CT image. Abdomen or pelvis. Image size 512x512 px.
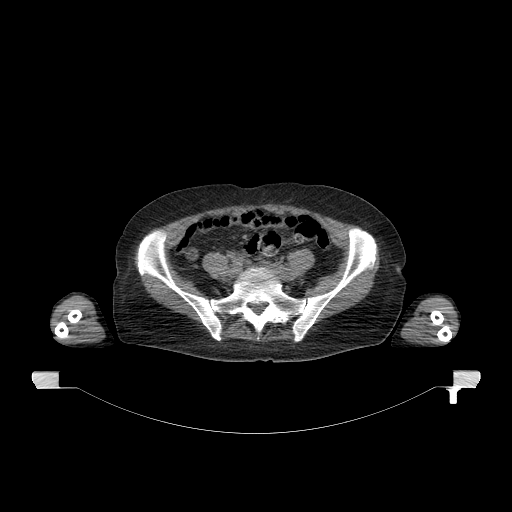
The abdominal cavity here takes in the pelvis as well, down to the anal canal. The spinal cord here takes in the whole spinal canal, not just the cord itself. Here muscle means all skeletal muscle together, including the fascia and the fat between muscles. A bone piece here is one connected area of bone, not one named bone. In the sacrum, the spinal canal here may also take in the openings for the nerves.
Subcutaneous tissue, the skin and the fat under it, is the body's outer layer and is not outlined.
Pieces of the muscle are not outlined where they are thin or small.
muscle 1: (265, 203) (306, 208) (363, 228) (353, 226) (347, 231) (348, 249) (344, 270) (335, 286) (323, 293) (305, 297) (305, 291) (315, 286) (320, 278) (336, 272) (343, 256) (343, 249) (330, 238) (326, 227) (310, 214) (281, 213) (256, 207) (232, 214) (206, 214) (189, 223) (184, 233) (170, 247) (169, 257) (176, 272) (182, 278) (190, 280) (209, 298) (183, 290) (173, 279) (165, 252) (166, 231) (158, 228) (146, 233) (155, 227) (205, 210) (231, 205)
muscle 2: (434, 296) (447, 299) (456, 312) (457, 325) (453, 334) (450, 326) (444, 323) (444, 315) (438, 309) (433, 309) (429, 314) (429, 318) (433, 326) (440, 327) (436, 332) (436, 336) (442, 342) (416, 343) (401, 337) (400, 332) (404, 324) (414, 315) (418, 304) (424, 299)
muscle 3: (74, 295) (83, 296) (93, 304) (95, 313) (97, 316) (97, 321) (102, 326) (105, 333) (104, 338) (100, 341) (90, 343) (65, 342) (60, 339) (65, 339) (69, 337) (69, 328) (66, 322) (63, 320) (58, 321) (53, 328) (52, 318) (56, 307) (64, 300), around a hole outlined by (72, 309) (77, 309) (78, 310) (79, 310) (81, 312) (81, 317) (79, 319) (79, 320) (77, 322) (76, 322) (75, 323) (71, 323) (70, 322) (69, 322) (69, 321) (68, 320) (68, 319) (67, 318) (67, 315) (68, 314) (68, 313) (70, 311) (70, 310) (71, 310)
muscle 4: (374, 237) (377, 239) (380, 247) (380, 266) (374, 277) (374, 283) (369, 293) (353, 306) (329, 317) (326, 320) (327, 321) (317, 331) (304, 339) (308, 331) (316, 322) (320, 313) (327, 304) (356, 276) (365, 270) (371, 270) (374, 267) (378, 251) (378, 246)
muscle 5: (217, 313) (226, 313) (229, 315) (240, 314) (243, 320) (252, 325) (256, 333) (257, 341) (260, 339) (266, 323) (285, 324) (292, 317) (295, 317) (291, 325) (293, 335) (292, 340) (295, 343) (289, 341) (270, 341) (263, 343) (244, 339) (220, 341) (222, 340) (222, 323)
muscle 6: (138, 273) (141, 276) (147, 274) (157, 278) (182, 298) (194, 310) (200, 319) (201, 323) (213, 339) (211, 339) (203, 331) (197, 329) (189, 323) (184, 315) (172, 311) (171, 309) (165, 307) (161, 303) (158, 303) (150, 297) (149, 294) (145, 290)
muscle 7: (210, 252) (218, 252) (222, 254) (224, 256) (225, 256) (227, 260) (227, 272) (223, 276) (222, 278) (214, 278) (212, 277) (208, 273) (208, 272) (206, 271) (203, 268) (202, 266) (202, 261) (203, 260) (203, 258) (204, 256) (206, 254)
muscle 8: (304, 248) (310, 250) (310, 251) (313, 254) (314, 256) (314, 262) (313, 263) (313, 265) (304, 273) (300, 275) (296, 275) (295, 272) (291, 268) (289, 264) (289, 259) (288, 258) (289, 257) (290, 253) (294, 252) (297, 250) (300, 250) (301, 249) (303, 249)
bones 1: (353, 227) (373, 236) (373, 267) (343, 287) (298, 342) (295, 316) (266, 322) (257, 340) (250, 322) (226, 312) (216, 313) (218, 341) (182, 297) (137, 267) (140, 241) (160, 229) (169, 272) (183, 291) (221, 298) (241, 272) (262, 266) (288, 295) (306, 298) (341, 279) with a hole at (260, 303) (265, 303) (266, 304) (265, 305) (265, 306) (264, 307) (264, 308) (263, 309) (263, 310) (259, 314) (257, 314) (255, 312) (254, 312) (253, 311) (253, 310) (252, 309) (252, 308) (250, 306) (250, 304) (259, 304)
bones 2: (433, 310) (438, 310) (443, 315) (444, 317) (443, 323) (444, 324) (448, 325) (450, 328) (451, 334) (452, 335) (449, 341) (447, 342) (443, 342) (441, 341) (437, 336) (437, 332) (441, 327) (439, 325) (433, 325) (432, 324) (432, 321) (430, 318) (430, 314)
bones 3: (60, 321) (63, 321) (64, 322) (65, 322) (65, 323) (66, 324) (66, 325) (68, 328) (68, 337) (66, 337) (65, 338) (60, 338) (59, 337) (58, 337) (55, 334) (55, 333) (54, 332) (54, 329) (55, 328) (56, 325) (58, 323) (58, 322) (59, 322)
bones 4: (72, 309) (77, 309) (78, 310) (79, 310) (81, 312) (81, 317) (79, 319) (79, 320) (77, 322) (76, 322) (75, 323) (71, 323) (70, 322) (69, 322) (69, 321) (68, 320) (68, 319) (67, 318) (67, 315) (68, 314) (68, 313) (70, 311) (70, 310) (71, 310)
torso: (281, 181) (325, 184) (351, 192) (376, 206) (395, 226) (405, 249) (402, 272) (407, 284) (397, 323) (381, 343) (310, 361) (274, 363) (270, 360) (208, 360) (125, 343) (118, 338) (112, 317) (115, 246) (126, 223) (138, 209) (165, 193) (190, 186) (233, 183) (252, 187)
left arm: (426, 292) (443, 292) (449, 295) (454, 300) (461, 314) (461, 322) (457, 335) (446, 345) (440, 346) (439, 347) (392, 347) (390, 345) (391, 342) (391, 335) (390, 334) (387, 337) (389, 332) (399, 322) (401, 319) (401, 316) (404, 313) (410, 303) (417, 296)
right arm: (76, 290) (83, 291) (89, 294) (94, 297) (97, 301) (106, 320) (108, 328) (113, 337) (113, 343) (112, 345) (102, 348) (74, 348) (73, 347) (68, 347) (62, 345) (53, 339) (52, 333) (49, 327) (49, 316) (51, 312) (52, 306) (62, 296) (71, 291) (75, 291)
spinal cord: (260, 303) (265, 303) (266, 304) (265, 305) (265, 306) (264, 307) (264, 308) (263, 309) (263, 310) (259, 314) (257, 314) (255, 312) (254, 312) (253, 311) (253, 310) (252, 309) (252, 308) (250, 306) (250, 304) (259, 304)
abdominal cavity: (256, 208) (281, 214) (307, 214) (319, 221) (329, 238) (342, 249) (335, 272) (320, 277) (302, 297) (284, 291) (275, 272) (262, 265) (241, 271) (233, 281) (231, 292) (221, 297) (207, 295) (190, 279) (182, 277) (175, 269) (169, 251) (189, 224) (206, 215) (232, 215) with a hole at (210, 252) (218, 252) (222, 254) (224, 256) (225, 256) (227, 260) (227, 272) (223, 276) (222, 278) (214, 278) (212, 277) (208, 273) (208, 272) (206, 271) (203, 268) (202, 266) (202, 261) (203, 260) (203, 258) (204, 256) (206, 254)